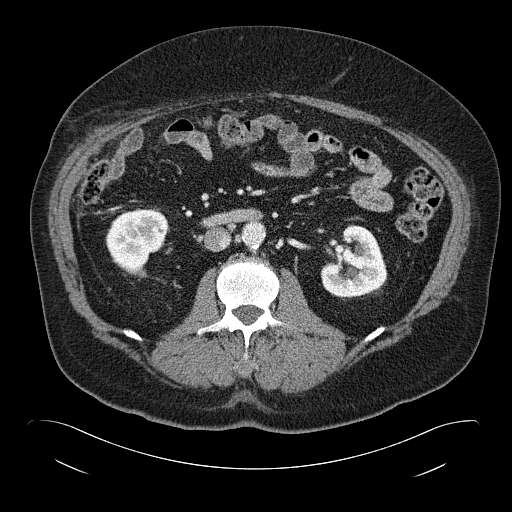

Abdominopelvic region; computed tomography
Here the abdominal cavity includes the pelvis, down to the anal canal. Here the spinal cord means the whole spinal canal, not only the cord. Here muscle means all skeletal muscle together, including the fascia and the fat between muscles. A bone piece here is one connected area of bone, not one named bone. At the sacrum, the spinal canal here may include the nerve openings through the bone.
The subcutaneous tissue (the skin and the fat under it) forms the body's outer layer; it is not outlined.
Outlines:
spinal cord: [[243,305],[253,305],[254,306],[261,309],[261,310],[262,311],[262,313],[259,316],[258,316],[256,318],[256,319],[252,323],[250,323],[249,324],[244,324],[233,313],[233,310],[234,310],[235,309],[236,309],[238,307],[239,307],[240,306],[242,306]]
bones 1: [[241,254],[259,257],[273,268],[279,289],[269,307],[270,312],[274,318],[289,324],[255,331],[250,337],[248,357],[244,361],[244,338],[239,330],[224,328],[200,335],[196,333],[199,328],[223,316],[225,306],[216,292],[216,278],[222,264]], around a hole outlined by [[243,305],[253,305],[254,306],[261,309],[261,310],[262,311],[262,313],[259,316],[258,316],[256,318],[256,319],[252,323],[250,323],[249,324],[244,324],[233,313],[233,310],[234,310],[235,309],[236,309],[238,307],[239,307],[240,306],[242,306]]
bones 2: [[381,325],[384,325],[385,326],[386,326],[386,329],[382,333],[381,333],[377,337],[376,337],[371,341],[370,341],[361,346],[359,346],[359,344],[360,343],[360,342],[364,338],[364,337],[365,336],[366,336],[369,333],[370,333],[376,328],[377,328]]
bones 3: [[122,328],[129,328],[130,329],[132,329],[134,331],[135,331],[143,339],[142,340],[142,341],[138,341],[137,340],[135,340],[134,339],[133,339],[132,338],[130,338],[129,337],[128,337],[127,336],[126,336],[121,331],[121,329]]
muscle: [[257,91],[258,92],[277,91],[280,93],[301,94],[339,102],[342,104],[369,112],[386,120],[389,120],[414,132],[432,144],[440,152],[444,154],[457,169],[457,171],[463,179],[469,193],[469,198],[471,203],[471,225],[469,231],[468,246],[461,260],[456,281],[452,286],[448,295],[442,304],[436,309],[431,311],[412,330],[409,335],[407,335],[393,345],[370,353],[348,369],[342,371],[308,391],[297,392],[292,394],[276,394],[267,391],[263,391],[260,388],[257,388],[252,385],[247,380],[239,380],[235,384],[226,388],[207,390],[202,392],[194,392],[179,389],[160,381],[157,377],[148,372],[141,365],[130,358],[126,353],[120,349],[104,343],[92,336],[76,314],[69,300],[68,293],[65,289],[64,283],[59,272],[49,235],[48,202],[50,197],[50,192],[59,171],[60,165],[72,149],[77,146],[84,138],[96,129],[102,127],[103,125],[115,122],[138,110],[142,110],[147,107],[157,106],[160,104],[166,104],[182,100],[196,99],[200,98],[202,96],[228,94],[235,92],[236,93],[246,93]], around a hole outlined by [[265,97],[371,124],[441,178],[451,220],[416,302],[359,346],[364,338],[323,321],[282,266],[269,308],[289,325],[255,331],[244,361],[239,330],[196,333],[224,314],[213,266],[181,322],[155,340],[126,336],[86,295],[70,221],[78,182],[134,127]]
torso: [[255,24],[352,37],[411,64],[473,114],[500,172],[501,210],[488,307],[469,363],[447,384],[419,398],[368,419],[306,433],[182,429],[117,410],[78,388],[59,369],[50,349],[30,241],[29,207],[38,170],[60,117],[87,86],[164,40],[211,27]]
abdominal cavity: [[265,97],[371,124],[441,178],[451,220],[416,302],[397,321],[349,336],[314,312],[289,269],[282,266],[278,276],[268,260],[241,253],[203,273],[187,315],[158,339],[104,320],[88,301],[70,221],[72,194],[92,160],[110,141],[164,115]]